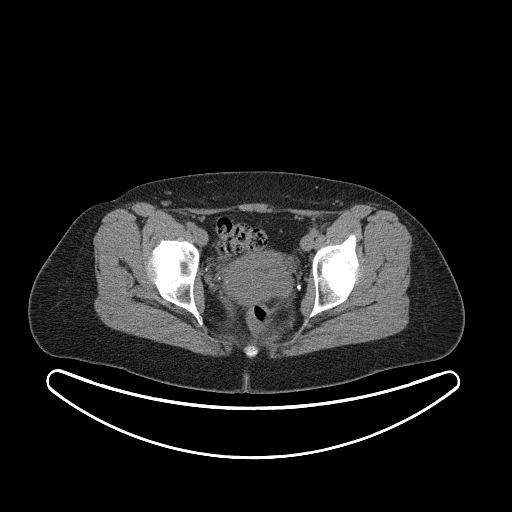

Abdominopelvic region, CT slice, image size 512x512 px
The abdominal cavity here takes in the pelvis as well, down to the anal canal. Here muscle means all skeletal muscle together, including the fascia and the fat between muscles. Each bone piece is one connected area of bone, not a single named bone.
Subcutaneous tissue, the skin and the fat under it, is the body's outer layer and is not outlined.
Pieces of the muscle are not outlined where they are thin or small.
The torso is outlined by [[243,170],[296,172],[359,184],[382,193],[411,213],[434,238],[461,293],[465,325],[456,347],[434,361],[392,368],[333,386],[268,394],[184,388],[122,369],[44,352],[35,342],[29,327],[27,307],[30,290],[39,269],[80,213],[149,181],[205,172]]. The abdominal cavity is outlined by [[228,211],[287,212],[311,218],[320,225],[320,233],[313,242],[315,252],[306,283],[302,291],[290,302],[289,319],[280,330],[266,339],[253,340],[240,332],[229,301],[212,285],[199,267],[200,251],[195,245],[197,241],[194,235],[198,224],[209,214]]. The bones appear in 3 outlined pieces: piece 1: [[161,239],[186,240],[192,243],[199,251],[199,264],[193,282],[193,297],[197,310],[203,319],[203,324],[201,326],[199,325],[196,318],[189,311],[163,298],[160,295],[156,286],[151,281],[147,273],[146,265],[148,259],[152,250]]; piece 2: [[352,233],[355,234],[357,239],[355,251],[359,263],[359,275],[353,286],[353,288],[347,298],[343,302],[312,316],[307,320],[304,325],[305,320],[312,310],[315,300],[315,285],[311,269],[312,268],[312,260],[316,251],[321,247],[326,245],[339,244]]; piece 3: [[249,344],[252,344],[253,345],[254,345],[257,348],[257,349],[258,350],[258,352],[257,353],[257,354],[254,357],[248,357],[244,353],[244,348],[247,345],[248,345]]. The muscle is outlined by [[137,201],[160,208],[266,203],[314,210],[377,203],[395,213],[412,237],[409,322],[398,333],[380,339],[279,359],[264,353],[256,356],[259,350],[252,343],[243,348],[243,353],[236,349],[215,357],[108,327],[93,306],[97,294],[93,237],[106,213]]; inner edge: [[228,211],[311,218],[320,225],[316,251],[355,234],[359,275],[347,298],[304,325],[315,300],[311,266],[290,302],[288,321],[274,335],[253,340],[240,332],[229,301],[199,267],[193,297],[200,326],[160,295],[146,265],[161,239],[195,245],[201,219]].